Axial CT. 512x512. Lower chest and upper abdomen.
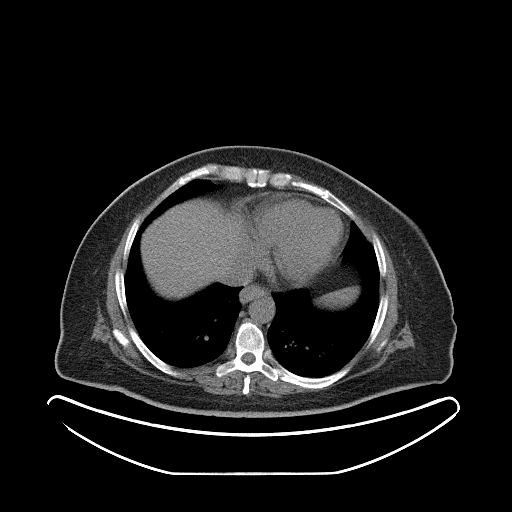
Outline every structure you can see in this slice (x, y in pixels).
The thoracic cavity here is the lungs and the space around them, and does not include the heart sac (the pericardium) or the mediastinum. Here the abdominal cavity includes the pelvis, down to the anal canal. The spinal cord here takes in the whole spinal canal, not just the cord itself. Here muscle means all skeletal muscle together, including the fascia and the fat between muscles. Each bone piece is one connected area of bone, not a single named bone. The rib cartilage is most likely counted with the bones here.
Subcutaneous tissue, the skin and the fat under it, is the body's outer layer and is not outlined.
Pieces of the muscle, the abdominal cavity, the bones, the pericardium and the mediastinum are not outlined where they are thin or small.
{"thoracic_cavity":[[[202,178],[217,188],[168,207],[141,233],[139,257],[143,275],[151,291],[168,302],[189,298],[215,283],[241,287],[237,296],[240,309],[233,341],[221,359],[195,367],[175,367],[157,356],[137,332],[128,310],[125,272],[132,244],[146,216],[182,186]],[[352,221],[371,243],[378,268],[379,300],[372,326],[365,342],[339,370],[321,377],[296,374],[283,366],[266,344],[266,335],[276,314],[273,294],[306,289],[313,307],[324,312],[341,312],[353,306],[362,293],[362,276],[353,264],[342,260]]],"pericardium":[[[267,191],[292,192],[301,195],[308,195],[315,197],[339,210],[347,222],[347,234],[341,251],[335,258],[333,264],[329,269],[313,285],[309,287],[300,288],[298,285],[282,283],[266,245],[250,220],[249,214],[245,209],[245,198],[247,196],[255,192]]],"spinal_cord":[[[245,353],[251,353],[254,356],[254,360],[251,363],[249,363],[248,364],[247,363],[245,363],[241,359],[241,358],[242,357],[242,356]]],"muscle":[{"outer":[[165,188],[142,221],[139,214],[132,220],[122,252],[125,271],[117,268],[114,272],[114,288],[120,310],[125,318],[128,311],[135,328],[129,326],[128,334],[148,362],[172,377],[178,378],[184,373],[176,368],[195,368],[218,360],[213,366],[217,377],[235,370],[242,372],[242,395],[213,394],[200,387],[170,383],[146,375],[113,355],[105,344],[90,339],[98,307],[107,315],[105,290],[111,257],[135,214]],"hole":[[113,329],[118,329],[129,340],[129,344],[128,345],[128,346],[127,346],[126,347],[125,347],[124,346],[123,346],[114,337],[114,336],[113,335],[113,334],[112,333],[112,330]]},{"outer":[[343,201],[375,226],[388,250],[397,277],[399,323],[402,325],[407,321],[415,347],[398,349],[377,369],[328,389],[282,397],[247,397],[245,395],[250,391],[250,374],[253,372],[259,372],[274,382],[280,380],[308,389],[330,386],[351,370],[350,365],[344,366],[365,343],[367,348],[371,346],[383,325],[389,302],[386,293],[380,295],[380,279],[387,273],[384,249],[374,230],[371,231],[370,242],[367,239],[356,214]],"hole":[[385,339],[387,339],[387,341],[386,342],[386,343],[384,345],[384,346],[379,351],[377,351],[377,350],[376,349],[377,348],[377,347],[379,345],[379,344],[383,340],[384,340]]},[[290,173],[291,173],[292,174],[295,174],[296,175],[298,175],[299,176],[300,176],[309,181],[311,181],[312,182],[319,185],[317,185],[316,184],[313,184],[312,183],[310,183],[309,182],[306,182],[303,180],[300,180],[299,179],[295,179]]],"mediastinum":[[[206,177],[243,182],[251,188],[297,188],[323,200],[279,190],[255,191],[244,198],[244,209],[281,283],[299,288],[272,294],[275,314],[265,337],[248,319],[235,329],[242,287],[225,285],[221,279],[247,248],[246,232],[235,211],[200,198],[218,188]]],"bones":[{"outer":[[244,320],[261,329],[274,358],[296,375],[321,378],[346,366],[350,366],[350,370],[322,388],[303,387],[280,379],[274,381],[253,371],[249,374],[249,391],[244,394],[245,374],[242,371],[235,369],[220,377],[214,371],[215,364],[234,341],[236,329]],"hole":[[245,353],[251,353],[254,356],[254,360],[251,363],[249,363],[248,364],[247,363],[245,363],[241,359],[241,358],[242,357],[242,356]]},[[212,164],[219,167],[234,165],[267,169],[271,172],[285,172],[295,180],[325,188],[352,210],[360,228],[341,210],[305,189],[269,184],[263,187],[251,187],[243,181],[220,179],[217,175],[195,178],[155,206],[163,192],[180,176],[196,168]],[[129,327],[133,328],[136,331],[139,337],[145,344],[145,345],[157,357],[167,364],[181,371],[183,373],[182,375],[178,377],[175,377],[169,374],[167,374],[158,369],[149,361],[148,361],[137,348],[131,339],[131,337],[129,334],[129,331],[128,330]],[[383,294],[386,294],[388,296],[387,309],[385,313],[385,316],[382,325],[376,337],[370,346],[367,347],[366,342],[368,339],[368,337],[370,334],[371,329],[373,326],[376,317],[376,314],[379,305],[379,301],[380,300],[380,296]],[[117,269],[121,269],[124,272],[124,289],[125,290],[125,298],[126,299],[126,303],[127,304],[127,311],[126,312],[126,317],[124,316],[121,310],[121,308],[120,307],[120,305],[118,301],[117,294],[116,293],[116,289],[115,288],[115,272]],[[372,231],[374,231],[378,235],[381,245],[382,246],[382,248],[383,249],[384,256],[385,257],[386,273],[385,274],[385,276],[382,278],[380,278],[380,274],[379,273],[379,268],[378,267],[377,258],[371,242],[371,239],[372,238],[371,234],[372,233]],[[139,215],[140,216],[141,223],[135,234],[135,236],[133,239],[133,241],[129,250],[129,254],[127,258],[127,261],[126,263],[125,263],[123,260],[123,252],[124,251],[124,247],[125,246],[126,239],[127,238],[130,227],[133,222],[133,220]],[[113,329],[118,329],[129,340],[129,344],[128,345],[128,346],[127,346],[126,347],[125,347],[124,346],[123,346],[114,337],[114,336],[113,335],[113,334],[112,333],[112,330]],[[385,339],[387,339],[387,341],[386,342],[386,343],[384,345],[384,346],[379,351],[377,351],[377,350],[376,349],[377,348],[377,347],[379,345],[379,344],[383,340],[384,340]]],"torso":[[[222,145],[280,147],[317,157],[377,192],[421,228],[450,292],[457,328],[451,374],[443,383],[401,390],[323,413],[220,417],[160,408],[119,391],[64,379],[57,373],[54,357],[60,337],[64,286],[76,250],[92,223],[122,191],[146,174],[186,154]]],"abdominal_cavity":[[[200,194],[202,194],[199,197],[200,199],[215,201],[224,205],[239,216],[245,232],[246,248],[234,266],[225,276],[220,279],[221,283],[212,283],[184,299],[178,301],[168,301],[158,297],[152,291],[146,281],[140,257],[141,236],[146,227],[168,208]],[[341,252],[341,260],[344,263],[353,265],[357,269],[359,272],[359,274],[361,276],[361,293],[357,301],[353,305],[341,311],[324,311],[317,309],[312,304],[310,297],[310,292],[308,288],[313,286],[330,269],[332,265],[334,264],[336,258],[338,257]]]}